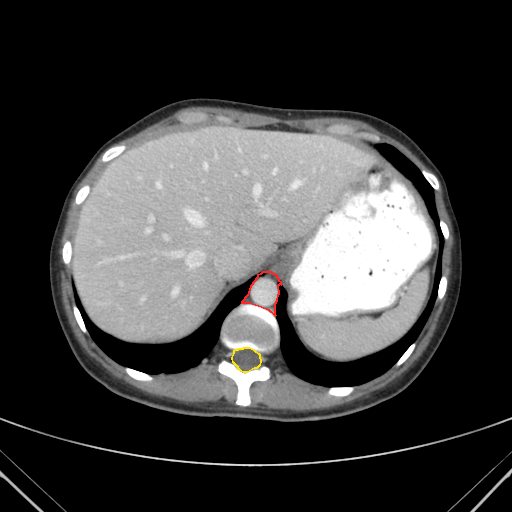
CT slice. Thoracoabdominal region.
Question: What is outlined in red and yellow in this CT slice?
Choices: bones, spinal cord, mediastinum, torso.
Answer: red: mediastinum; yellow: spinal cord.
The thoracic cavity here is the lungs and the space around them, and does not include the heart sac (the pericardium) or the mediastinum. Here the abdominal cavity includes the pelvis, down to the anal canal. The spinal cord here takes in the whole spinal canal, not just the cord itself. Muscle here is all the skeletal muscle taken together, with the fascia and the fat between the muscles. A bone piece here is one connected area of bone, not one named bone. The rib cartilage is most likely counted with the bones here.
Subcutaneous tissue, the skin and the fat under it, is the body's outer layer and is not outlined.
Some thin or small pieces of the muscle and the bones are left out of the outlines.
Outlined structures:
mediastinum: 275,315 275,303 277,300 278,294 279,293 278,285 280,283 281,284 281,282 279,281 279,279 275,274 273,274 271,272 262,272 260,274 257,275 257,277 250,286 247,295 241,302 249,302 261,306 268,309
spinal cord: 243,371 247,371 254,367 257,367 260,364 261,362 260,355 255,351 249,348 243,348 242,349 238,349 237,350 234,350 233,351 233,353 231,357 231,359 232,361 237,366 237,367 239,369
thoracic cavity 1: 326,386 359,384 385,371 414,341 436,298 443,238 433,189 410,160 386,143 376,146 414,183 437,228 434,285 426,308 395,344 359,360 334,363 303,347 287,317 286,292 280,284 276,317 284,359 299,377
thoracic cavity 2: 150,374 160,372 177,372 199,363 218,341 219,330 224,317 244,298 256,275 231,290 206,322 191,335 177,342 162,345 130,344 120,341 100,330 87,317 73,285 76,303 88,331 98,345 108,355 121,364
bones 1: 242,406 251,403 250,385 254,381 263,381 269,378 270,369 264,363 265,356 279,347 280,337 275,316 268,310 249,303 241,303 229,312 222,323 219,336 227,353 218,364 218,371 236,383 238,390 235,403, around a hole outlined by 243,371 247,371 254,367 257,367 260,364 261,362 260,355 255,351 249,348 243,348 242,349 238,349 237,350 234,350 233,351 233,353 231,357 231,359 232,361 237,366 237,367 239,369
bones 2: 373,141 379,141 379,137 377,135 372,133 365,132 364,131 356,132 355,129 351,125 348,124 339,123 338,124 332,124 329,125 327,127 327,130 333,133 339,133 340,134 354,134 357,136 360,136
bones 3: 184,122 196,122 197,121 204,121 207,119 207,118 208,117 208,115 206,113 205,113 204,112 200,112 199,111 192,111 191,112 187,112 186,113 184,113 182,115 180,115 178,117 178,119 180,121 183,121
bones 4: 103,162 106,162 107,161 109,161 111,159 112,159 114,157 115,157 117,155 121,153 126,148 126,146 124,144 116,144 115,145 113,145 109,147 104,152 104,153 102,155 102,158 101,159
bones 5: 149,381 153,379 153,377 151,375 147,373 145,373 144,372 141,372 140,371 138,371 135,369 133,369 129,367 126,367 125,366 124,367 124,369 125,371 133,378 135,379 137,379 138,380 148,380
bones 6: 435,190 437,190 439,188 439,182 438,181 438,179 437,178 437,177 432,172 430,172 429,171 427,171 426,170 422,170 421,171 421,172 423,174 423,175 425,177 425,178 428,181 428,182 431,185 431,186
bones 7: 76,204 80,204 85,199 85,198 86,197 87,194 89,192 89,190 90,189 90,186 89,185 86,184 85,185 82,186 80,188 80,189 76,194 76,196 75,197 75,203
bones 8: 86,334 88,334 88,332 86,329 86,327 84,324 84,322 82,319 82,317 80,314 80,312 75,303 74,304 73,304 73,312 74,313 75,318 76,319 76,320 77,321 80,328 82,330 82,331
bones 9: 394,366 398,366 399,365 400,365 409,356 409,355 412,352 412,351 414,349 414,348 415,347 415,345 416,344 416,343 415,342 413,342 409,346 409,347 403,353 403,354 398,359 398,360 394,364
torso: 285,423 328,420 369,409 404,390 427,365 449,327 461,287 461,235 446,182 437,166 413,139 395,125 368,113 274,107 209,97 168,103 104,142 65,196 48,261 51,296 59,324 82,368 121,397 185,416
muscle 1: 293,411 329,408 368,395 406,371 426,348 446,300 451,273 451,255 454,243 440,183 434,193 439,218 450,232 442,254 442,274 448,278 448,287 447,291 443,298 435,301 410,356 400,366 393,365 356,385 351,394 337,397 326,393 328,387 296,376 278,348 266,356 270,378 251,385 252,403 242,407 234,403 235,383 217,371 226,353 219,341 194,367 152,374 154,379 149,382 138,381 79,328 72,312 70,263 63,263 61,248 73,237 81,205 74,203 75,194 82,185 91,186 106,163 100,159 103,152 73,193 58,251 62,302 81,346 114,377 152,395 184,403 219,401 239,409
muscle 2: 430,171 431,170 415,154 391,136 378,130 364,121 343,117 281,119 273,116 253,112 246,112 233,108 190,106 182,108 171,115 113,144 124,143 127,147 129,147 166,125 179,122 184,123 180,122 177,119 177,117 184,112 192,110 199,110 206,112 209,115 209,117 205,121 219,122 214,117 217,114 222,114 228,116 231,119 231,121 228,123 240,126 260,126 267,124 283,123 296,128 324,132 327,131 326,127 329,124 342,122 351,124 356,129 356,131 364,130 377,134 380,137 379,142 386,142 393,145 410,159 420,170 426,169
abdominal cavity: 334,362 395,343 425,308 433,285 438,251 433,220 418,190 377,149 378,142 283,124 179,123 107,162 82,203 72,241 72,283 96,326 130,343 171,343 201,326 231,289 271,271 287,292 286,311 304,347